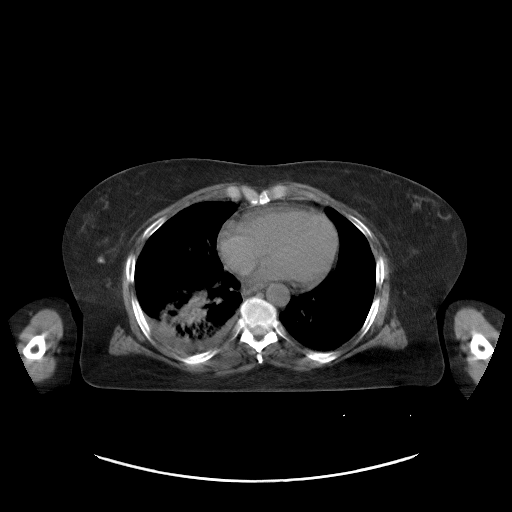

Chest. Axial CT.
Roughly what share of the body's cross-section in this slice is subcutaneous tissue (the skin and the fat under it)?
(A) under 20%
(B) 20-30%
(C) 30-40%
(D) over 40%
Answer: (D) over 40%
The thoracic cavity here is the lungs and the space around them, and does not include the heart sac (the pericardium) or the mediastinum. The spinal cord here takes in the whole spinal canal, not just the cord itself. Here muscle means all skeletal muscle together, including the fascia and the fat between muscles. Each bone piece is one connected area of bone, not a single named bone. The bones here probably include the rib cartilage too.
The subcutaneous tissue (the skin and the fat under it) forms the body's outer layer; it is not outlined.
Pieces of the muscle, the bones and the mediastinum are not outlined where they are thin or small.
{"pericardium":[[[275,201],[286,201],[290,203],[303,204],[317,208],[323,211],[336,229],[339,243],[335,265],[328,275],[318,285],[309,290],[297,292],[280,281],[273,280],[265,282],[252,282],[241,280],[224,268],[218,254],[217,237],[221,227],[231,215],[249,206]]],"mediastinum":[[[236,277],[241,281],[251,282],[252,283],[265,283],[273,281],[274,282],[280,282],[297,293],[301,293],[297,295],[292,295],[289,299],[289,301],[285,308],[278,315],[278,312],[276,308],[270,302],[261,297],[253,295],[243,300],[239,290],[241,285]],[[287,197],[303,198],[304,199],[307,199],[308,200],[312,200],[316,202],[319,202],[325,205],[324,212],[323,210],[308,204],[304,204],[303,203],[295,203],[294,202],[290,202],[286,200],[275,200],[274,201],[271,201],[272,200],[280,200]],[[225,198],[227,198],[228,199],[230,199],[234,201],[236,200],[239,200],[240,199],[244,199],[252,205],[249,205],[248,206],[246,206],[240,209],[238,211],[233,213],[236,210],[237,208],[237,204],[235,202],[231,200],[218,200],[217,199],[224,199]]],"bones":[{"outer":[[253,296],[267,301],[275,308],[277,317],[289,337],[288,341],[279,339],[277,342],[270,343],[265,346],[261,351],[262,363],[260,364],[257,360],[257,352],[254,348],[245,342],[239,342],[237,337],[231,339],[232,330],[240,317],[239,307],[241,303]],"hole":[[256,327],[259,327],[260,328],[261,328],[262,329],[263,329],[265,331],[265,333],[262,336],[262,337],[261,337],[260,338],[256,338],[254,336],[254,335],[252,333],[252,332],[251,331],[251,330],[252,329],[253,329],[254,328],[255,328]]},[[278,184],[285,185],[291,190],[291,192],[286,197],[280,199],[272,199],[268,202],[262,202],[255,204],[250,203],[244,198],[235,200],[228,198],[225,196],[223,191],[224,188],[227,186],[235,185],[236,186],[246,186],[259,192],[264,189],[269,189]],[[476,332],[479,332],[481,333],[488,340],[488,341],[493,346],[494,346],[493,348],[493,352],[491,354],[491,356],[487,358],[485,360],[483,359],[475,359],[474,358],[474,356],[471,353],[470,351],[470,347],[469,346],[469,343],[470,342],[471,337]],[[41,333],[44,333],[44,335],[45,336],[45,343],[46,344],[46,350],[44,354],[40,359],[38,359],[37,360],[33,360],[32,361],[29,361],[27,360],[24,357],[22,350],[32,336],[34,335],[37,335]],[[132,295],[134,295],[136,297],[138,301],[138,303],[144,314],[145,319],[150,328],[150,331],[151,332],[151,338],[153,342],[151,342],[145,336],[145,335],[141,330],[136,320],[136,318],[133,312],[132,305],[131,304],[131,296]],[[213,348],[217,348],[218,349],[218,352],[212,357],[206,360],[204,362],[198,363],[197,364],[186,364],[176,359],[174,357],[174,355],[178,355],[179,356],[187,356],[188,355],[193,355],[197,353],[201,353],[202,352],[204,352],[207,350],[209,350]],[[304,349],[309,349],[310,350],[316,351],[317,352],[327,352],[328,351],[339,350],[341,352],[341,353],[339,356],[338,356],[335,359],[329,362],[327,362],[326,363],[320,363],[317,361],[315,361],[314,360],[306,358],[304,354],[304,352],[303,351]],[[375,296],[378,296],[380,299],[379,301],[379,305],[378,306],[378,309],[377,310],[376,315],[371,325],[369,327],[368,330],[361,338],[359,338],[359,331],[368,314],[368,312],[372,304],[373,299]],[[131,253],[132,253],[133,254],[134,254],[136,256],[136,260],[135,261],[135,265],[134,266],[134,282],[133,283],[130,283],[127,281],[127,279],[126,278],[126,275],[125,274],[125,265],[126,264],[126,260],[127,259],[127,257],[128,256],[128,255]],[[162,216],[166,216],[167,217],[167,219],[149,237],[148,237],[146,239],[144,239],[143,238],[142,238],[142,234],[143,233],[143,232],[144,231],[144,230],[150,224],[151,224],[154,221],[155,221],[158,218],[159,218],[160,217],[161,217]],[[379,255],[380,256],[381,256],[382,257],[382,258],[383,259],[383,262],[384,263],[384,277],[383,278],[383,281],[382,282],[382,283],[381,284],[381,286],[380,287],[376,287],[376,258]],[[347,214],[351,214],[352,215],[353,215],[355,217],[356,217],[359,220],[360,220],[370,230],[370,231],[371,232],[371,233],[372,234],[372,237],[371,238],[367,238],[362,233],[362,232],[355,225],[354,225],[346,217],[346,215]],[[299,190],[304,190],[305,191],[308,191],[309,192],[311,192],[315,194],[319,198],[319,200],[320,202],[319,201],[316,201],[312,199],[308,199],[307,198],[304,198],[303,197],[301,197],[301,196],[297,193],[297,191]]],"thoracic_cavity":[[[203,200],[231,201],[236,204],[235,210],[219,229],[216,237],[216,250],[223,270],[232,274],[239,282],[238,290],[242,301],[238,307],[239,317],[225,337],[212,348],[183,355],[168,348],[152,333],[136,296],[135,266],[137,257],[148,238],[176,213]],[[326,206],[333,208],[344,216],[367,239],[375,260],[375,289],[371,304],[359,330],[336,349],[327,351],[317,351],[304,346],[289,335],[278,316],[286,308],[292,296],[297,296],[318,286],[329,275],[336,265],[340,243],[339,237],[335,225],[325,213]]],"torso":[[[183,157],[246,164],[317,159],[357,162],[405,176],[440,195],[459,215],[467,237],[462,270],[436,312],[444,360],[440,381],[427,387],[308,392],[151,391],[100,388],[86,383],[79,367],[82,313],[62,260],[66,221],[83,195],[104,178],[138,164]]],"right_arm":[[[46,295],[59,295],[63,297],[69,303],[71,307],[73,318],[76,323],[77,338],[73,360],[72,375],[69,384],[66,387],[61,389],[42,394],[32,380],[26,368],[24,360],[20,352],[18,351],[12,331],[10,328],[9,317],[17,309],[29,301]]],"muscle":[[[284,180],[322,190],[356,210],[382,235],[392,251],[390,254],[384,249],[391,270],[389,307],[395,309],[405,332],[408,343],[404,348],[377,345],[306,371],[263,363],[263,349],[279,340],[288,342],[289,336],[307,348],[302,350],[306,359],[320,364],[335,360],[342,353],[339,347],[358,332],[361,339],[369,330],[381,300],[375,290],[382,286],[385,277],[384,259],[379,254],[375,259],[368,241],[373,234],[360,219],[351,213],[343,215],[308,190],[297,190],[300,197],[288,196],[292,190],[278,183],[259,191],[230,184],[222,190],[224,198],[208,199],[210,196],[205,195],[168,218],[158,217],[143,230],[141,238],[145,241],[138,255],[129,253],[124,265],[126,281],[134,284],[135,295],[130,296],[133,315],[151,343],[153,334],[168,349],[182,355],[174,354],[176,360],[197,365],[216,355],[219,349],[214,347],[231,332],[231,340],[237,338],[239,343],[254,349],[259,365],[242,372],[204,375],[141,353],[109,353],[114,328],[127,320],[121,273],[128,244],[148,218],[210,185],[239,182],[266,187]],{"outer":[[44,308],[54,309],[60,315],[63,323],[63,341],[62,342],[59,360],[53,374],[50,377],[41,381],[36,381],[32,380],[32,378],[26,368],[24,360],[22,358],[20,352],[18,351],[16,342],[19,338],[19,334],[28,324],[32,315],[39,310]],"hole":[[41,333],[44,333],[44,335],[45,336],[45,343],[46,344],[46,350],[44,354],[40,359],[38,359],[37,360],[33,360],[32,361],[29,361],[27,360],[24,357],[22,350],[32,336],[34,335],[37,335]]},[[462,306],[472,306],[477,309],[482,309],[483,312],[495,323],[500,330],[495,345],[493,345],[479,331],[476,331],[470,337],[468,346],[473,358],[475,360],[484,361],[489,358],[477,383],[471,378],[466,371],[462,355],[456,344],[453,321],[456,311]]],"left_arm":[[[463,297],[476,298],[483,300],[499,308],[504,313],[503,321],[500,331],[497,336],[495,345],[493,348],[493,352],[491,354],[491,356],[489,358],[475,387],[467,398],[465,398],[462,395],[451,375],[447,351],[442,331],[444,313],[447,306],[455,299]]],"spinal_cord":[[[256,327],[259,327],[260,328],[261,328],[262,329],[263,329],[265,331],[265,333],[262,336],[262,337],[261,337],[260,338],[256,338],[254,336],[254,335],[252,333],[252,332],[251,331],[251,330],[252,329],[253,329],[254,328],[255,328]]]}